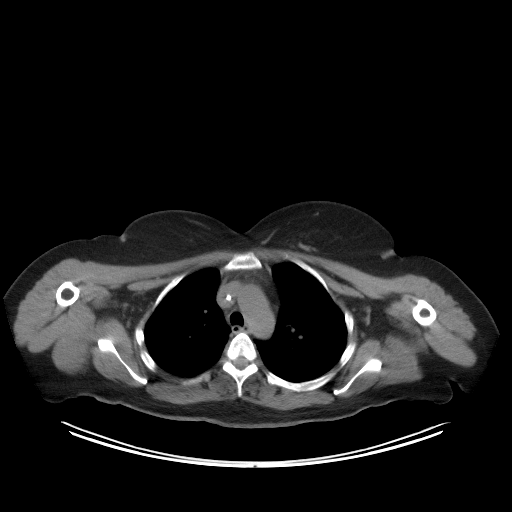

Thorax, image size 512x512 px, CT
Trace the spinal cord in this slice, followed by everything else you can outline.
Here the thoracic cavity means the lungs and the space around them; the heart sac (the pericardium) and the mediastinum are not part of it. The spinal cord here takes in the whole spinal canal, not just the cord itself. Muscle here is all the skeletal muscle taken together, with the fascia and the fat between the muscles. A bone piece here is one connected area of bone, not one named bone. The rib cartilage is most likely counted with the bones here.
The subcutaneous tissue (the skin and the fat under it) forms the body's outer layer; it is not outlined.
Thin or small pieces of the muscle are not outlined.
spinal cord: 239,356 243,356 248,361 248,363 247,364 247,365 246,365 243,368 238,368 233,363 233,361 234,361
thoracic cavity 1: 283,261 289,261 295,264 313,276 321,284 343,313 347,333 346,345 338,361 325,373 303,381 290,381 284,379 268,369 263,364 254,342 255,340 267,341 274,333 281,307 281,300 273,277 272,267 274,264
thoracic cavity 2: 207,267 217,267 219,271 220,277 215,294 215,302 220,308 224,320 230,329 228,334 228,341 223,349 219,360 216,363 195,376 184,377 173,374 157,364 147,350 145,344 144,328 153,311 173,288 186,276
left arm: 409,253 425,255 436,259 455,272 484,303 492,315 498,327 499,333 491,355 479,379 469,393 462,391 455,382 451,383 444,373 432,362 421,347 415,341 409,328 404,321 403,315 399,307 401,262 402,255
bones 1: 241,331 245,332 254,343 263,367 284,380 303,382 317,378 329,371 336,371 335,375 318,388 294,391 268,383 263,370 260,369 244,380 241,386 242,395 239,397 236,381 230,374 221,370 219,361 229,340 with a hole at 239,356 243,356 248,361 248,363 247,364 247,365 246,365 243,368 238,368 233,363 233,361 234,361
bones 2: 247,251 251,251 253,252 254,254 260,260 260,261 262,263 262,267 261,268 228,270 227,271 224,271 222,273 220,273 219,268 221,266 224,265 229,260 230,260 236,253 243,253
bones 3: 66,280 70,280 76,286 79,287 80,289 80,291 79,292 79,296 78,298 72,304 66,307 61,307 59,305 58,305 56,301 56,298 55,297 55,293 56,292 56,290 57,288 60,285 60,284 62,282
bones 4: 418,299 424,299 426,301 427,301 434,308 434,309 436,312 436,318 435,319 435,320 430,325 429,325 428,326 423,326 422,325 421,325 420,324 419,324 414,319 414,318 412,315 412,307 416,303 416,302
bones 5: 102,337 109,337 111,339 116,350 118,352 121,358 133,370 133,371 137,374 147,378 147,382 145,384 143,385 135,380 131,376 127,369 119,361 113,353 111,352 102,352 100,351 97,345 97,341 99,338
bones 6: 372,357 378,358 381,361 381,369 380,371 378,372 369,372 368,371 365,371 360,375 359,375 344,392 338,395 335,395 333,393 333,389 335,388 340,388 342,387 361,368 361,367 367,361 367,360
bones 7: 137,326 139,326 143,329 144,343 142,345 142,348 143,349 145,349 148,352 153,360 156,363 157,367 155,371 150,370 145,365 140,357 140,351 141,350 141,347 139,346 135,338 135,334 134,333 135,328
bones 8: 284,253 288,253 290,255 294,256 302,260 304,262 311,266 314,269 315,269 325,281 330,292 329,293 325,289 325,288 322,285 322,284 313,275 312,275 309,272 306,271 295,263 286,259 283,255
bones 9: 184,272 185,272 186,273 186,275 161,299 161,300 159,302 159,303 153,310 153,305 155,302 155,300 156,299 157,296 159,294 159,293 161,291 161,290 171,280 171,279 174,276 175,276 178,274 183,273
bones 10: 351,341 353,341 356,343 356,345 355,346 355,349 351,357 344,364 343,366 340,367 339,366 339,363 338,362 339,361 339,359 343,351 345,349 347,345 347,343
bones 11: 206,371 209,371 210,372 210,377 209,379 206,381 201,381 200,382 198,382 194,384 190,384 189,385 183,385 181,383 181,381 183,379 187,379 188,378 195,377 201,374 203,372 205,372
bones 12: 345,309 347,309 352,314 352,315 353,316 353,329 352,330 352,332 351,333 351,334 350,335 348,335 348,333 347,332 347,328 346,327 346,324 345,323 345,319 344,318 344,313 343,312 344,311 344,310
torso: 312,199 352,205 391,232 401,255 399,310 414,341 450,382 449,401 397,400 336,420 235,428 162,418 90,396 59,403 44,398 40,390 93,315 93,236 118,235 140,215 162,209 202,212 243,232 273,210
muscle: 253,247 283,248 321,256 375,276 412,273 438,282 458,301 476,326 472,348 477,360 471,367 453,363 434,351 432,354 422,352 419,354 423,375 420,379 372,386 329,404 279,410 240,398 190,404 159,400 121,385 94,369 80,374 62,373 44,351 32,353 13,342 18,301 48,269 63,259 72,257 114,265 140,265 173,261 213,250 240,251, around holes outlined by 247,251 263,264 287,261 284,253 302,260 323,278 339,309 352,314 353,329 346,342 355,342 355,349 343,366 337,362 329,370 336,372 324,385 294,391 268,383 260,369 244,380 239,397 236,381 218,361 206,370 208,380 183,385 187,377 158,365 152,371 141,359 135,328 145,327 157,296 171,279 184,272 187,276 203,268 219,268 236,253 and by 352,299 357,299 358,300 360,299 365,301 379,301 382,302 384,304 383,312 385,314 388,321 393,326 393,330 388,331 383,337 375,337 369,335 368,336 361,330 359,327 356,316 350,306 350,302 349,301 and by 148,292 150,292 152,294 152,299 150,301 144,311 139,316 139,317 135,320 133,320 128,316 117,316 114,314 109,313 109,312 107,310 111,309 118,304 120,304 132,298 137,297 144,293 147,293 and by 418,299 424,299 426,301 427,301 434,308 434,309 436,312 436,318 435,319 435,320 430,325 429,325 428,326 423,326 422,325 421,325 420,324 419,324 414,319 414,318 412,315 412,307 416,303 416,302 and by 66,280 70,280 76,286 79,287 80,289 80,291 79,292 79,296 78,298 72,304 66,307 61,307 59,305 58,305 56,301 56,298 55,297 55,293 56,292 56,290 57,288 60,285 60,284 62,282 and by 102,337 109,337 111,339 116,350 118,352 121,358 133,370 133,371 137,374 147,378 147,382 145,384 143,385 135,380 131,376 127,369 119,361 113,353 111,352 102,352 100,351 97,345 97,341 99,338 and by 372,357 378,358 381,361 381,369 380,371 378,372 369,372 368,371 365,371 360,375 359,375 344,392 338,395 335,395 333,393 333,389 335,388 340,388 342,387 361,368 361,367 367,361 367,360
right arm: 90,237 92,237 94,287 95,288 94,308 92,315 88,324 79,335 75,344 62,357 51,375 39,390 30,375 17,346 13,342 13,335 8,321 6,306 4,302 4,293 18,274 32,260 46,250 68,240
mediastinum: 269,262 275,263 272,265 271,271 280,300 280,307 271,337 267,340 255,339 253,341 245,331 241,330 237,331 229,339 231,329 225,320 221,308 216,302 216,294 221,277 220,274 228,271 261,269 263,264